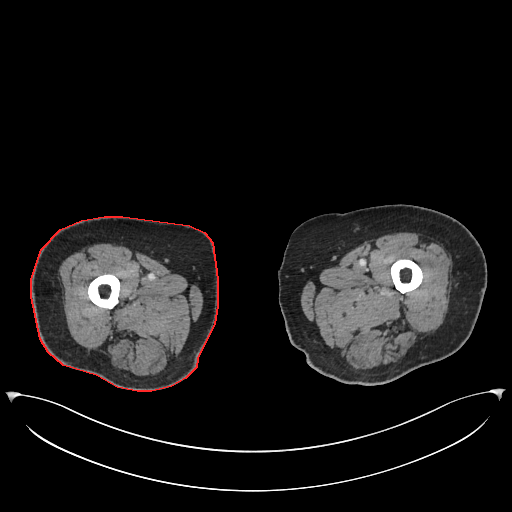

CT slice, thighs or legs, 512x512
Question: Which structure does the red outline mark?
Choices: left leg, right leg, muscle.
Answer: red: right leg.
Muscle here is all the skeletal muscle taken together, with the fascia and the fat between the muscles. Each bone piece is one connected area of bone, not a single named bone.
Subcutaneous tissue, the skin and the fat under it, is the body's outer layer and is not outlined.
The right leg is outlined by [[104,216],[122,216],[189,225],[204,232],[212,242],[217,279],[217,306],[214,323],[197,358],[196,367],[185,378],[171,386],[151,391],[137,391],[117,387],[96,375],[63,365],[48,352],[40,339],[31,296],[31,279],[41,249],[60,229],[81,220]]. The left leg is outlined by [[385,204],[422,206],[445,213],[462,223],[478,241],[485,255],[488,274],[487,286],[474,328],[469,338],[456,352],[385,383],[369,385],[345,383],[320,373],[307,362],[305,355],[291,344],[278,301],[277,271],[291,233],[305,220],[324,213],[347,212]]. The muscle appears in 2 outlined pieces: piece 1: [[399,231],[416,232],[431,237],[441,243],[451,255],[452,286],[448,314],[438,331],[410,349],[399,362],[386,369],[373,371],[357,370],[342,361],[313,330],[300,306],[299,302],[300,289],[302,283],[306,278],[321,266],[343,255],[346,252],[380,236]] with a hole at [[398,259],[410,259],[412,260],[421,268],[421,270],[423,274],[422,281],[419,285],[419,286],[415,289],[411,291],[406,292],[405,293],[401,293],[395,288],[394,284],[391,278],[391,275],[390,274],[390,268],[391,267],[391,265],[396,260]]; piece 2: [[100,242],[113,242],[140,250],[181,271],[199,283],[202,289],[203,307],[199,318],[179,357],[162,373],[149,378],[130,377],[125,375],[115,370],[103,354],[78,345],[69,334],[63,310],[62,288],[58,278],[59,266],[66,257],[78,249],[88,244]] with a hole at [[106,273],[110,273],[115,275],[120,281],[120,292],[118,297],[118,303],[112,309],[102,308],[97,306],[89,299],[88,297],[88,294],[87,293],[87,288],[89,285],[89,283],[94,278],[97,277],[99,275],[105,274]]. The bones appear in 2 outlined pieces: piece 1: [[106,273],[110,273],[115,275],[120,281],[120,292],[118,297],[118,303],[112,309],[102,308],[97,306],[89,299],[88,297],[88,294],[87,293],[87,288],[89,285],[89,283],[94,278],[97,277],[99,275],[105,274]]; piece 2: [[398,259],[410,259],[412,260],[421,268],[421,270],[423,274],[422,281],[419,285],[419,286],[415,289],[411,291],[406,292],[405,293],[401,293],[395,288],[394,284],[391,278],[391,275],[390,274],[390,268],[391,267],[391,265],[396,260]].